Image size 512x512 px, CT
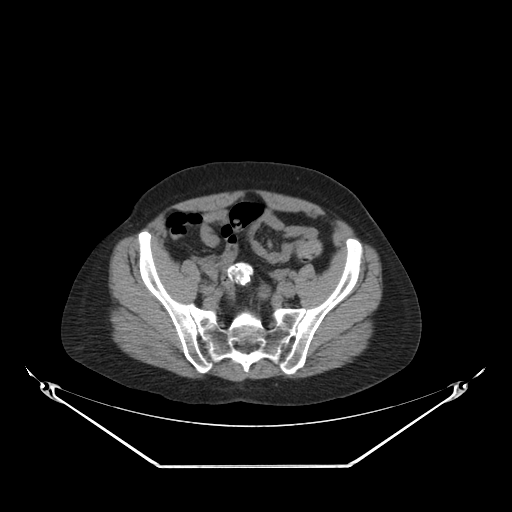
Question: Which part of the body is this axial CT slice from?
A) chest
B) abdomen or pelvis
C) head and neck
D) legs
Answer: B) abdomen or pelvis
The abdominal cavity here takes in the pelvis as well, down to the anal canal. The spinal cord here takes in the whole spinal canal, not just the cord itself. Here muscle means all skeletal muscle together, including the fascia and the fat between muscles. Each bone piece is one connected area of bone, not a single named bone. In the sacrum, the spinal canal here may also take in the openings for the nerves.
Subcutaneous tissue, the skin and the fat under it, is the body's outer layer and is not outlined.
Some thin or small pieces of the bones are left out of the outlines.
Outlines (x, y in pixels):
spinal cord 1: 243 345; 253 345; 254 346; 255 346; 255 347; 251 351; 250 351; 249 352; 248 352; 247 353; 246 353; 245 352; 243 352; 242 351; 241 351; 239 349; 239 347; 240 346; 242 346
spinal cord 2: 221 321; 222 321; 223 322; 224 323; 224 324; 223 325; 222 326; 221 326; 220 325; 219 324; 219 323; 220 322
spinal cord 3: 270 323; 271 323; 272 324; 273 325; 273 326; 272 327; 271 328; 270 328; 269 327; 268 326; 268 325; 269 324
spinal cord 4: 233 340; 234 340; 235 340; 236 341; 236 342; 236 343; 235 344; 234 344; 233 344; 232 343; 232 342; 232 341
spinal cord 5: 259 341; 260 341; 261 341; 262 342; 262 343; 262 344; 261 345; 260 345; 259 345; 258 344; 258 343; 258 342
bones: 143 230; 151 234; 155 268; 170 296; 215 311; 225 328; 245 310; 271 329; 276 308; 319 305; 341 277; 346 239; 357 239; 363 252; 355 285; 324 316; 294 373; 266 357; 246 372; 227 357; 201 373; 141 278; 137 236; inner edge: 243 345; 253 345; 254 346; 255 346; 255 347; 251 351; 250 351; 249 352; 248 352; 247 353; 246 353; 245 352; 243 352; 242 351; 241 351; 239 349; 239 347; 240 346; 242 346
abdominal cavity: 248 193; 259 195; 279 211; 326 217; 333 226; 336 249; 321 272; 311 264; 295 272; 300 307; 276 307; 266 325; 245 309; 225 327; 215 310; 193 302; 200 270; 191 259; 181 263; 173 259; 164 245; 162 221; 172 209; 225 207
muscle: 244 189; 259 189; 260 190; 275 192; 288 196; 300 198; 317 204; 329 214; 331 214; 332 216; 336 218; 339 218; 346 222; 354 230; 362 241; 371 245; 378 253; 379 259; 381 263; 381 269; 382 270; 381 271; 382 272; 382 296; 377 308; 373 312; 371 316; 374 325; 373 333; 369 339; 369 344; 367 348; 359 355; 354 357; 351 362; 348 362; 340 367; 333 368; 321 373; 318 373; 306 377; 301 377; 300 378; 284 378; 281 376; 274 376; 273 377; 261 378; 260 379; 250 379; 247 378; 242 381; 231 381; 214 375; 206 375; 203 378; 190 378; 178 375; 163 368; 157 367; 151 364; 145 363; 142 361; 135 359; 122 351; 112 340; 111 337; 112 324; 109 317; 110 316; 110 309; 114 305; 114 303; 112 301; 108 286; 108 276; 109 275; 108 271; 109 270; 110 257; 112 251; 118 241; 124 237; 129 236; 137 232; 148 222; 153 219; 162 210; 170 205; 184 200; 200 196; 215 194; 221 192; 231 192; 236 190; 243 190; inner edge: 248 193; 333 226; 327 267; 295 272; 304 308; 336 287; 346 239; 363 249; 355 285; 324 316; 291 374; 266 357; 246 372; 228 357; 197 371; 139 271; 137 236; 148 231; 164 288; 192 303; 200 270; 166 249; 164 215; 225 207
torso: 221 160; 276 161; 309 167; 337 180; 360 199; 407 271; 420 305; 419 345; 401 371; 355 394; 307 406; 268 406; 242 401; 187 404; 120 385; 67 355; 60 340; 62 311; 71 285; 92 249; 127 217; 138 198; 154 184; 181 169